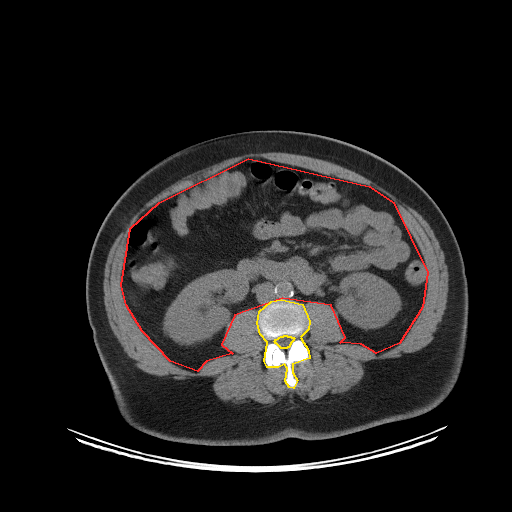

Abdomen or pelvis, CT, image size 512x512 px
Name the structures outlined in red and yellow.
red: abdominal cavity; yellow: bones.
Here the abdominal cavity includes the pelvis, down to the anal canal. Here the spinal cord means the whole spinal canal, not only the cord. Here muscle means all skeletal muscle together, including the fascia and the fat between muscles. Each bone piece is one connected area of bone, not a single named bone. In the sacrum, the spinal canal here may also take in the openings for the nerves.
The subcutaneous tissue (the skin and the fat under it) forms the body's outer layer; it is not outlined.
Outlined structures:
abdominal cavity: [[248,158],[369,186],[393,202],[427,272],[422,307],[399,343],[376,353],[361,344],[340,342],[345,337],[331,305],[282,298],[234,315],[221,344],[232,353],[206,361],[197,371],[170,361],[142,331],[126,305],[121,285],[130,228],[159,202]]
bones: [[281,299],[302,304],[309,321],[308,329],[300,337],[308,350],[309,358],[292,364],[292,372],[297,380],[293,388],[289,387],[285,381],[287,368],[284,364],[278,367],[267,367],[264,361],[267,342],[260,334],[257,323],[259,311],[271,301]] with a hole at [[284,335],[286,335],[287,336],[290,336],[291,337],[293,337],[294,338],[293,339],[293,340],[290,343],[290,344],[288,347],[287,347],[286,348],[281,348],[276,343],[275,343],[275,342],[274,341],[275,340],[275,339],[276,339],[281,336],[283,336]]
muscle: [[266,152],[284,152],[285,153],[309,156],[329,161],[347,169],[352,170],[376,183],[391,193],[403,203],[414,209],[429,224],[444,253],[445,263],[447,265],[448,292],[447,293],[446,308],[442,316],[441,321],[437,325],[437,329],[433,333],[433,339],[426,346],[417,351],[410,353],[404,353],[401,356],[395,358],[374,359],[368,361],[365,364],[364,375],[359,383],[349,390],[344,396],[341,396],[328,402],[313,402],[312,401],[308,402],[300,398],[295,393],[293,393],[291,395],[288,394],[284,396],[280,401],[274,404],[270,404],[259,408],[249,408],[248,407],[233,405],[220,399],[215,394],[212,387],[212,380],[209,377],[196,376],[186,379],[174,379],[165,376],[158,376],[147,373],[138,368],[135,365],[135,363],[132,359],[124,351],[109,325],[105,310],[104,300],[103,299],[104,296],[103,279],[104,278],[104,268],[106,259],[109,250],[115,239],[124,230],[126,223],[134,213],[141,208],[146,202],[150,200],[162,190],[189,174],[229,158],[240,156],[248,153],[265,153]]; inner edge: [[248,158],[369,186],[393,202],[427,272],[422,307],[399,343],[376,353],[361,344],[340,342],[345,337],[334,308],[322,301],[308,301],[303,307],[309,327],[300,338],[309,358],[292,364],[297,383],[291,388],[285,381],[286,366],[269,368],[264,361],[267,342],[259,332],[259,311],[253,307],[239,311],[226,325],[221,345],[232,353],[206,361],[197,371],[170,361],[142,331],[126,305],[121,285],[130,228],[159,202]]
torso: [[266,129],[319,134],[369,151],[406,173],[438,205],[459,244],[468,281],[468,337],[460,375],[449,395],[423,414],[333,438],[288,437],[260,445],[217,446],[147,434],[130,426],[120,415],[93,341],[85,281],[94,239],[120,195],[162,159],[213,137]]
spinal cord: [[284,335],[286,335],[287,336],[290,336],[291,337],[293,337],[294,338],[293,339],[293,340],[290,343],[290,344],[288,347],[287,347],[286,348],[281,348],[276,343],[275,343],[275,342],[274,341],[275,340],[275,339],[276,339],[281,336],[283,336]]